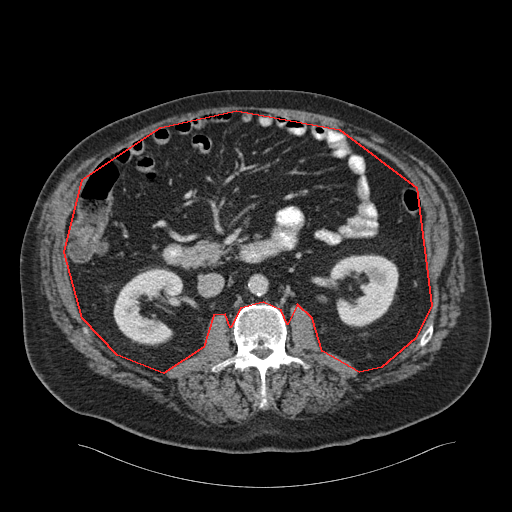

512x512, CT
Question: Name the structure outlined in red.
Answer: red: abdominal cavity.
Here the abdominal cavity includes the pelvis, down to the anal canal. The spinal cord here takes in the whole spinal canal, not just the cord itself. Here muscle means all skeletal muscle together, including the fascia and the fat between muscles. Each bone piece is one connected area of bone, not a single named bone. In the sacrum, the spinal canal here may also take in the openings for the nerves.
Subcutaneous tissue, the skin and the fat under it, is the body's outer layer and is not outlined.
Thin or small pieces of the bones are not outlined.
{"abdominal_cavity":[[[236,110],[339,129],[416,187],[431,305],[415,338],[381,367],[359,372],[322,351],[312,318],[297,304],[287,324],[281,310],[263,302],[240,308],[230,327],[225,314],[213,315],[203,347],[163,373],[117,355],[82,318],[64,252],[82,179],[160,127]]],"muscle":[{"outer":[[229,105],[297,109],[334,117],[346,122],[351,122],[359,127],[365,128],[374,132],[379,136],[387,139],[398,148],[420,159],[427,164],[445,184],[452,195],[453,200],[462,218],[465,281],[460,305],[460,313],[457,317],[456,323],[442,340],[440,347],[434,355],[434,359],[431,365],[427,366],[424,369],[398,382],[389,383],[378,387],[373,392],[366,395],[360,400],[349,404],[335,412],[331,412],[321,416],[304,420],[298,420],[284,418],[273,411],[266,409],[258,411],[249,420],[237,428],[227,428],[211,424],[206,426],[198,423],[193,419],[180,414],[171,407],[168,407],[166,403],[160,403],[156,401],[151,396],[143,393],[139,389],[136,389],[127,385],[123,385],[107,377],[95,373],[88,366],[87,364],[88,359],[81,352],[77,350],[67,339],[65,334],[62,332],[53,320],[49,309],[49,301],[42,291],[39,254],[40,253],[40,219],[46,199],[56,187],[64,174],[71,167],[93,154],[113,145],[128,135],[152,123],[174,115],[179,115],[182,113],[191,111],[193,112],[203,108],[220,107]],"holes":[[[236,110],[343,131],[393,162],[425,212],[431,305],[415,338],[359,372],[321,350],[293,304],[285,350],[310,367],[269,368],[264,408],[256,368],[210,370],[237,351],[225,314],[209,319],[195,355],[144,369],[82,318],[64,252],[92,168],[160,127]],[[431,322],[432,322],[433,323],[433,332],[432,333],[432,336],[431,337],[430,340],[425,345],[424,345],[423,346],[421,346],[420,347],[418,347],[418,343],[419,342],[419,341],[420,340],[420,339],[421,338],[424,331],[428,327],[429,324]],[[84,326],[85,327],[86,327],[87,328],[88,329],[88,330],[88,331],[89,332],[89,333],[89,334],[89,335],[88,335],[87,335],[86,335],[85,334],[84,333],[83,332],[83,331],[82,330],[82,329],[82,328],[82,327],[83,327]]]}],"torso":[[[228,89],[303,90],[359,105],[419,137],[450,167],[474,215],[492,323],[480,371],[446,409],[390,434],[349,445],[301,452],[226,453],[156,442],[81,415],[62,404],[36,376],[23,342],[19,255],[30,214],[51,171],[79,141],[115,120],[183,96]]],"spinal_cord":[[[263,348],[266,348],[267,349],[269,349],[271,351],[271,352],[266,357],[265,357],[264,358],[260,358],[259,357],[258,357],[255,354],[254,354],[252,352],[252,351],[253,350],[254,350],[255,349],[262,349]]],"bones":[{"outer":[[251,303],[269,304],[281,311],[288,330],[286,352],[310,365],[304,368],[292,362],[276,370],[269,368],[265,374],[268,403],[264,408],[259,407],[261,379],[256,368],[241,371],[231,364],[220,371],[210,370],[212,365],[236,353],[234,319],[240,309]],"hole":[[263,348],[266,348],[267,349],[269,349],[271,351],[271,352],[266,357],[265,357],[264,358],[260,358],[259,357],[258,357],[255,354],[254,354],[252,352],[252,351],[253,350],[254,350],[255,349],[262,349]]},[[431,322],[432,322],[433,323],[433,332],[432,333],[432,336],[431,337],[430,340],[425,345],[424,345],[423,346],[421,346],[420,347],[418,347],[418,343],[419,342],[419,341],[420,340],[420,339],[421,338],[424,331],[428,327],[429,324]]]}